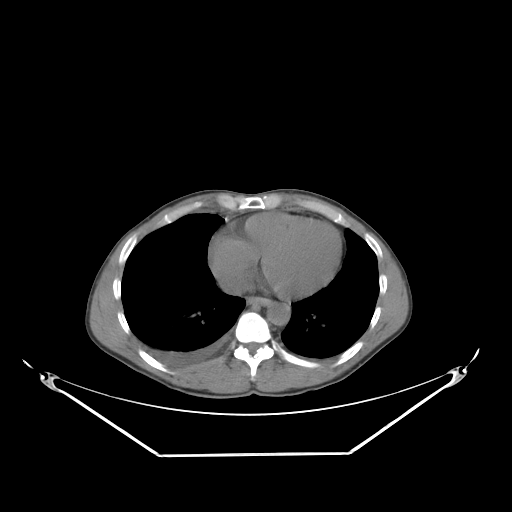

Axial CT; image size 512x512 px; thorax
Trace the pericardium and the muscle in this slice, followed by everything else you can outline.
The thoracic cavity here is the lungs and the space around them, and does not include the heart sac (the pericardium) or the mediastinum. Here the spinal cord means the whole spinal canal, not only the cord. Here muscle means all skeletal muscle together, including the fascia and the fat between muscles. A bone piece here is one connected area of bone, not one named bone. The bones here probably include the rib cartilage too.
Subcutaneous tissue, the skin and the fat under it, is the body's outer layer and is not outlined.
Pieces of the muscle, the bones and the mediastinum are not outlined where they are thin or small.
pericardium: 268 208; 283 208; 307 211; 311 214; 329 220; 341 231; 343 235; 344 255; 341 262; 341 267; 334 278; 328 285; 312 295; 288 304; 274 298; 249 294; 235 294; 224 291; 218 285; 207 263; 208 246; 210 240; 224 224; 242 213
muscle: 280 192; 312 196; 340 208; 382 242; 400 271; 408 298; 403 323; 352 366; 329 380; 309 386; 282 391; 251 387; 241 392; 218 393; 183 387; 161 378; 108 348; 94 335; 89 320; 93 294; 120 243; 162 210; 194 196; 218 193; 214 201; 221 208; 202 208; 207 205; 202 199; 182 204; 166 212; 140 240; 138 233; 133 232; 120 249; 117 262; 123 271; 121 277; 113 278; 112 293; 116 300; 121 300; 123 310; 118 310; 116 317; 123 331; 127 335; 132 333; 142 344; 143 349; 137 349; 138 355; 151 367; 174 375; 176 372; 168 367; 181 370; 198 366; 217 356; 229 344; 233 357; 249 367; 252 382; 260 363; 276 353; 282 360; 305 368; 321 366; 305 358; 323 360; 337 356; 330 365; 334 368; 353 357; 364 345; 360 337; 367 329; 374 328; 382 311; 376 304; 378 296; 384 295; 388 287; 387 276; 378 269; 382 249; 370 233; 366 231; 360 236; 350 222; 328 204; 295 197; 290 202; 300 208; 282 206; 286 198
torso: 211 188; 240 192; 298 188; 323 194; 351 209; 383 236; 405 269; 413 297; 413 312; 407 327; 344 380; 319 390; 284 397; 191 396; 169 389; 103 352; 86 333; 84 312; 91 284; 108 252; 129 228; 159 206; 179 196
bones 1: 248 311; 259 314; 267 322; 271 335; 284 349; 299 357; 317 362; 320 366; 305 367; 297 365; 282 359; 276 352; 272 357; 259 363; 252 381; 250 367; 244 360; 234 357; 233 350; 230 347; 230 342; 235 337; 236 322; 241 313 with a hole at 250 342; 256 342; 257 343; 259 343; 260 344; 260 346; 256 350; 256 351; 253 354; 251 354; 249 352; 249 350; 245 346; 245 345; 246 344; 247 344; 248 343; 249 343
bones 2: 219 193; 226 193; 233 196; 245 196; 246 197; 248 196; 261 196; 270 193; 278 193; 282 195; 285 198; 285 200; 281 206; 278 207; 246 208; 240 210; 231 210; 227 208; 222 208; 216 203; 215 201; 215 197; 217 194
bones 3: 295 198; 300 198; 301 199; 306 199; 307 200; 313 200; 328 205; 339 212; 349 222; 352 229; 345 227; 341 224; 339 224; 336 222; 334 222; 331 219; 328 218; 321 213; 315 211; 312 211; 308 209; 304 209; 292 204; 291 201
bones 4: 197 200; 202 200; 204 201; 206 203; 206 205; 205 206; 193 212; 185 214; 170 223; 168 223; 161 227; 154 229; 154 227; 157 222; 160 219; 161 219; 166 213; 182 205; 184 205; 185 204; 187 204; 188 203; 190 203
bones 5: 359 339; 360 339; 363 341; 363 345; 360 348; 360 349; 353 356; 352 356; 346 361; 345 361; 334 367; 332 367; 331 366; 331 365; 338 358; 338 356; 341 353; 342 353; 345 350; 346 350; 349 347; 350 347; 357 340; 358 340
bones 6: 135 232; 137 233; 137 238; 138 239; 138 241; 130 252; 128 257; 125 261; 125 263; 124 265; 121 265; 119 264; 118 262; 118 259; 119 258; 119 255; 120 254; 121 249; 124 245; 127 239; 133 233
bones 7: 139 348; 144 350; 147 353; 148 353; 151 356; 152 356; 156 360; 159 361; 161 363; 165 365; 170 370; 172 371; 174 371; 175 373; 174 374; 171 374; 167 372; 164 372; 148 364; 139 355; 138 353; 138 349
bones 8: 366 232; 367 233; 370 234; 376 240; 376 241; 378 243; 378 244; 381 249; 381 251; 382 252; 382 258; 381 258; 380 259; 377 259; 377 257; 376 256; 375 253; 372 250; 372 249; 363 238; 363 235; 364 234; 364 233; 365 233
bones 9: 120 310; 122 310; 123 311; 123 312; 124 313; 124 315; 125 316; 125 318; 127 321; 127 323; 130 328; 130 330; 131 331; 131 332; 129 334; 127 334; 124 331; 124 330; 122 328; 122 327; 118 320; 118 318; 117 317; 117 312
bones 10: 115 277; 120 277; 121 278; 121 297; 120 298; 120 299; 116 299; 115 298; 115 297; 114 296; 114 294; 113 293; 113 280; 114 279; 114 278
bones 11: 380 273; 382 273; 383 274; 384 274; 386 276; 386 277; 387 278; 387 287; 386 288; 386 290; 385 291; 385 293; 384 294; 383 294; 382 295; 379 295; 379 274
bones 12: 376 305; 380 306; 381 308; 381 311; 380 312; 380 314; 379 315; 379 317; 378 318; 377 322; 375 324; 373 328; 370 330; 368 328; 368 327; 369 326; 369 323; 373 315; 373 313; 374 312; 374 310; 375 309
spinal cord: 250 342; 256 342; 257 343; 259 343; 260 344; 260 346; 256 350; 256 351; 253 354; 251 354; 249 352; 249 350; 245 346; 245 345; 246 344; 247 344; 248 343; 249 343
mediastinum 1: 224 292; 235 295; 249 295; 262 298; 274 299; 287 305; 291 304; 290 319; 285 328; 281 332; 280 336; 279 337; 274 337; 271 333; 268 322; 259 313; 255 311; 250 311; 249 310; 241 312; 245 306; 245 300; 242 297; 228 294
mediastinum 2: 201 209; 215 209; 216 210; 218 209; 227 209; 231 211; 240 211; 246 209; 260 209; 249 210; 237 214; 235 216; 230 218; 224 223; 215 233; 214 233; 214 232; 217 228; 224 222; 224 219; 216 213; 197 212; 196 211
mediastinum 3: 334 223; 336 223; 337 224; 338 224; 339 225; 341 225; 343 227; 344 227; 345 228; 346 228; 344 230; 344 238; 345 239; 345 242; 346 243; 346 252; 345 253; 345 255; 345 240; 344 239; 344 235; 342 233; 342 231
mediastinum 4: 279 207; 287 207; 288 208; 294 208; 295 209; 303 209; 304 210; 308 210; 312 212; 315 212; 316 213; 321 214; 327 218; 323 217; 320 215; 316 215; 313 213; 311 213; 307 210; 301 210; 300 209; 292 209; 291 208; 284 208
thoracic cavity 1: 194 212; 216 214; 223 219; 223 222; 216 228; 208 242; 206 263; 217 287; 228 295; 242 298; 244 306; 234 325; 234 337; 217 355; 198 365; 179 369; 164 364; 147 352; 132 332; 121 299; 122 276; 126 261; 139 241; 152 231
thoracic cavity 2: 347 228; 352 230; 365 241; 377 260; 378 295; 368 326; 358 339; 338 355; 323 359; 297 355; 284 348; 275 338; 279 338; 281 336; 289 323; 292 315; 292 304; 308 298; 328 286; 342 268; 347 252; 347 243; 345 238; 345 230